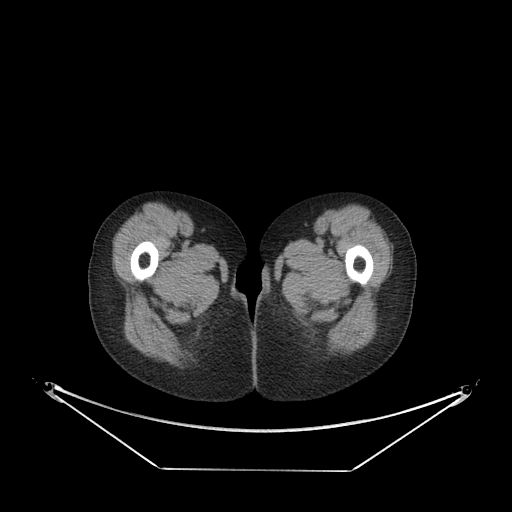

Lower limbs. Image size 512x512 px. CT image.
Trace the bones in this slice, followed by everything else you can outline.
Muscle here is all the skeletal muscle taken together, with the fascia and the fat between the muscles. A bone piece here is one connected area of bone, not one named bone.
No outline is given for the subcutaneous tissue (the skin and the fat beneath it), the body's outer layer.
Outlines (x, y in pixels):
bones 1: [[356,244],[361,244],[365,247],[366,247],[370,252],[372,256],[372,259],[373,260],[373,271],[372,272],[372,274],[369,280],[365,285],[361,285],[357,282],[354,282],[352,281],[347,275],[346,269],[345,268],[345,253],[346,252],[346,250],[348,248]]
bones 2: [[145,240],[151,241],[156,246],[158,250],[158,263],[157,264],[157,267],[154,273],[151,276],[148,277],[146,279],[142,281],[139,281],[134,277],[134,276],[131,272],[131,270],[130,269],[130,257],[131,256],[131,253],[133,249],[140,242],[144,241]]
right leg: [[155,189],[180,191],[213,203],[234,220],[244,236],[247,256],[237,270],[236,284],[245,292],[252,312],[255,352],[254,392],[241,399],[212,403],[182,399],[159,391],[120,368],[97,338],[89,311],[87,286],[87,267],[93,238],[104,218],[123,200]]
muscle 1: [[147,201],[163,202],[187,212],[193,221],[196,239],[213,245],[227,264],[226,286],[218,305],[184,324],[176,332],[178,338],[198,362],[195,367],[184,370],[144,356],[126,342],[122,332],[125,296],[124,289],[113,273],[111,265],[112,239],[124,221]] with a hole at [[145,240],[151,241],[156,246],[158,250],[158,263],[157,264],[157,267],[154,273],[151,276],[148,277],[146,279],[142,281],[139,281],[134,277],[134,276],[131,272],[131,270],[130,269],[130,257],[131,256],[131,253],[133,249],[140,242],[144,241]]
muscle 2: [[348,203],[366,206],[385,231],[393,244],[393,268],[377,294],[377,331],[372,341],[350,356],[334,356],[326,361],[318,361],[310,345],[314,339],[313,331],[299,321],[279,293],[275,281],[275,261],[290,241],[312,233],[314,221],[326,209],[336,209]] with a hole at [[356,244],[361,244],[365,247],[366,247],[370,252],[372,256],[372,259],[373,260],[373,271],[372,272],[372,274],[369,280],[365,285],[361,285],[357,282],[354,282],[352,281],[347,275],[346,269],[345,268],[345,253],[346,252],[346,250],[348,248]]
left leg: [[334,190],[359,191],[381,200],[397,214],[407,228],[417,258],[416,288],[410,322],[395,353],[382,367],[365,379],[320,399],[296,402],[269,401],[255,392],[256,345],[253,309],[261,288],[262,263],[258,253],[259,242],[269,223],[284,209],[309,196]]